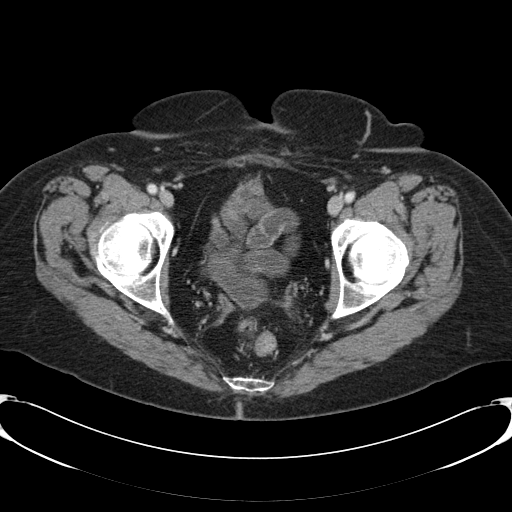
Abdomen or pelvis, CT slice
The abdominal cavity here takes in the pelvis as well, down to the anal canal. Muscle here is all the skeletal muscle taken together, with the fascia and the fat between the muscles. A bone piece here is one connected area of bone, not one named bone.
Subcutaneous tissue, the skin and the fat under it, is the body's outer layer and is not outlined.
{"torso":[[[293,88],[351,94],[394,123],[419,125],[426,148],[455,159],[495,192],[511,214],[510,362],[477,365],[361,409],[243,421],[139,403],[0,350],[0,188],[9,179],[86,138],[130,130],[136,112],[171,94],[227,90],[252,116],[269,121],[271,102]]],"muscle":[{"outer":[[255,151],[291,162],[326,165],[371,183],[405,171],[428,173],[457,191],[465,232],[460,293],[423,335],[387,359],[279,400],[260,395],[222,395],[160,373],[124,354],[92,331],[36,277],[33,223],[42,188],[69,168],[106,163],[133,179],[144,179]],"holes":[[[252,164],[320,180],[332,229],[347,218],[378,221],[404,243],[409,263],[378,300],[332,319],[331,245],[324,313],[309,337],[274,372],[236,373],[177,316],[169,249],[159,290],[172,326],[119,291],[94,258],[104,229],[124,215],[172,219],[192,177]],[[223,376],[228,376],[229,377],[232,377],[233,376],[241,376],[242,377],[253,377],[254,378],[261,378],[265,380],[272,380],[274,382],[274,384],[271,388],[265,391],[255,391],[254,392],[248,392],[245,390],[237,390],[236,391],[232,389],[222,378]]]}],"abdominal_cavity":[[[252,164],[284,168],[312,176],[322,182],[327,193],[331,227],[330,249],[324,313],[309,337],[296,353],[274,372],[236,373],[185,330],[174,310],[170,247],[175,234],[175,225],[171,219],[174,216],[175,198],[181,187],[192,177],[213,169],[241,168]]],"bones":[[[148,211],[159,211],[167,215],[174,225],[174,234],[168,252],[161,266],[159,277],[159,290],[161,300],[174,321],[172,326],[168,325],[167,320],[161,314],[136,302],[119,291],[101,275],[96,266],[94,258],[99,238],[107,226],[128,213],[144,213]],[[347,218],[349,219],[358,218],[365,221],[368,220],[378,221],[385,225],[404,243],[407,250],[409,263],[405,269],[401,281],[378,300],[359,311],[336,319],[332,319],[330,317],[337,305],[339,297],[339,275],[332,253],[330,234],[332,229],[337,224]],[[223,376],[228,376],[229,377],[232,377],[233,376],[241,376],[242,377],[253,377],[254,378],[261,378],[265,380],[272,380],[274,382],[274,384],[271,388],[265,391],[255,391],[254,392],[248,392],[245,390],[237,390],[236,391],[232,389],[222,378]]]}